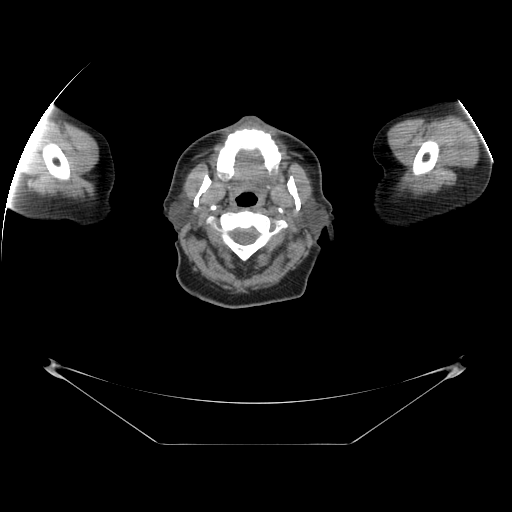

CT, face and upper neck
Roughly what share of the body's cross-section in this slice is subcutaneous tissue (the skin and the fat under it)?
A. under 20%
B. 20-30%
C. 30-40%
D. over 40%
C. 30-40%
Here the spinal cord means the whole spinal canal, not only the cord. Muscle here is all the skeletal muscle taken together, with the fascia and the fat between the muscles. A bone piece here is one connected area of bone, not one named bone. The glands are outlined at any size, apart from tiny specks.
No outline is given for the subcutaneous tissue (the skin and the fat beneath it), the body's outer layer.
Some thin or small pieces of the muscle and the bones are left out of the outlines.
The parotid glands appear in 2 outlined pieces: piece 1: 310 198; 313 198; 314 199; 315 198; 318 200; 320 203; 324 206; 325 210; 327 212; 327 221; 326 221; 320 228; 317 229; 314 232; 313 231; 311 231; 310 228; 306 225; 302 217; 302 212; 303 211; 304 205; 306 202; 310 199; piece 2: 182 191; 183 191; 185 197; 187 198; 191 206; 191 209; 193 213; 192 214; 192 219; 190 221; 187 221; 178 229; 178 228; 176 227; 176 226; 173 223; 172 218; 170 217; 169 215; 169 207; 170 206; 171 202; 175 198; 175 196. The right arm is outlined by 51 104; 59 106; 95 128; 104 135; 109 143; 115 167; 115 180; 110 194; 110 201; 113 209; 108 219; 98 225; 83 227; 65 219; 57 221; 36 221; 27 219; 8 209; 7 207; 7 197; 10 191; 11 182; 22 151; 36 124. The head and neck is outlined by 248 114; 294 135; 316 154; 321 167; 322 190; 335 217; 334 239; 330 242; 327 230; 322 229; 317 240; 321 252; 300 297; 232 309; 204 301; 180 286; 175 275; 177 234; 168 219; 159 222; 158 218; 175 164; 185 148; 202 135; inner edge: 241 194; 253 194; 255 196; 255 197; 256 198; 256 200; 255 201; 255 202; 254 203; 252 203; 251 204; 250 204; 249 205; 242 205; 241 204; 240 205; 237 202; 237 201; 236 200; 236 199; 238 197; 238 196; 239 196. The spinal cord is outlined by 251 227; 253 227; 257 231; 258 233; 258 236; 255 239; 255 240; 251 243; 249 243; 248 244; 241 244; 240 243; 238 243; 236 242; 231 237; 230 235; 230 233; 234 229; 236 228; 242 228; 243 229; 247 229. The left arm is outlined by 447 99; 459 101; 478 128; 489 152; 489 157; 493 162; 489 183; 482 195; 470 205; 433 217; 410 229; 402 230; 390 227; 376 217; 371 205; 375 184; 383 173; 382 168; 375 161; 372 154; 374 137; 382 125; 395 116; 433 102. The muscle appears in 3 outlined pieces: piece 1: 247 121; 258 123; 272 130; 292 149; 304 157; 309 167; 314 198; 310 197; 305 202; 302 208; 301 217; 305 225; 313 232; 313 244; 308 256; 297 270; 291 273; 278 285; 253 291; 248 294; 231 294; 217 287; 212 287; 205 279; 191 270; 187 257; 180 244; 180 228; 193 219; 194 213; 188 198; 184 191; 181 191; 181 188; 184 180; 184 169; 190 159; 204 148; 217 141; 224 132, around holes outlined by 244 209; 247 209; 253 212; 260 212; 272 219; 283 219; 287 223; 286 228; 283 228; 277 233; 272 235; 262 247; 244 261; 240 259; 224 243; 220 232; 206 223; 206 219; 210 215; 218 218; 221 214; 225 212; 229 211; 237 212 and by 243 128; 261 129; 270 134; 281 153; 281 159; 278 165; 278 171; 276 173; 274 171; 270 174; 268 172; 264 165; 263 157; 257 148; 242 148; 235 156; 232 176; 229 179; 223 180; 217 175; 217 157; 228 134; 237 129 and by 290 175; 292 175; 293 176; 294 182; 297 189; 297 192; 298 193; 298 195; 301 202; 301 206; 300 207; 300 209; 298 211; 296 211; 295 209; 295 203; 294 202; 294 199; 292 195; 289 192; 288 188; 287 187; 287 180 and by 205 173; 207 173; 208 174; 211 180; 211 183; 210 185; 207 188; 207 189; 201 194; 201 195; 199 197; 199 203; 198 204; 198 206; 197 207; 195 207; 193 205; 193 199; 199 189; 199 187; 202 182; 202 180; 204 177; 204 175 and by 241 194; 253 194; 255 196; 255 197; 256 198; 256 200; 255 201; 255 202; 254 203; 252 203; 251 204; 250 204; 249 205; 242 205; 241 204; 240 205; 237 202; 237 201; 236 200; 236 199; 238 197; 238 196; 239 196; piece 2: 450 113; 460 115; 474 130; 478 139; 480 151; 479 161; 462 178; 459 179; 455 185; 444 187; 434 194; 430 193; 419 197; 405 197; 398 195; 394 188; 399 179; 399 171; 397 161; 387 142; 388 130; 394 124; 408 118; 437 117; inner edge: 430 139; 431 140; 436 141; 439 146; 439 152; 438 153; 437 160; 433 168; 428 172; 423 174; 420 174; 419 175; 414 175; 412 171; 412 166; 413 165; 413 160; 415 157; 415 155; 418 151; 421 144; 424 141; 429 140; piece 3: 40 118; 52 119; 60 122; 74 124; 89 133; 96 140; 99 148; 99 160; 95 166; 95 173; 97 176; 97 192; 95 198; 92 200; 87 202; 77 202; 58 199; 53 197; 44 197; 30 190; 23 182; 14 175; 16 166; 26 142, around a hole outlined by 50 141; 53 141; 55 142; 61 148; 62 151; 64 153; 67 159; 67 161; 69 164; 69 168; 70 169; 70 176; 67 180; 62 180; 61 179; 54 177; 49 173; 46 167; 46 165; 43 160; 43 152; 44 151; 45 146. The bones appear in 6 outlined pieces: piece 1: 244 209; 247 209; 253 212; 260 212; 272 219; 283 219; 287 223; 286 228; 283 228; 277 233; 272 235; 262 247; 244 261; 240 259; 224 243; 220 232; 206 223; 206 219; 210 215; 218 218; 221 214; 225 212; 229 211; 237 212; inner edge: 251 227; 253 227; 257 231; 258 233; 258 236; 255 239; 255 240; 251 243; 249 243; 248 244; 241 244; 240 243; 238 243; 236 242; 231 237; 230 235; 230 233; 234 229; 236 228; 242 228; 243 229; 247 229; piece 2: 243 128; 261 129; 270 134; 281 153; 281 159; 278 165; 278 171; 276 173; 274 171; 270 174; 268 172; 264 165; 263 157; 257 148; 242 148; 235 156; 232 176; 229 179; 223 180; 217 175; 217 157; 228 134; 237 129; piece 3: 50 141; 53 141; 55 142; 61 148; 62 151; 64 153; 67 159; 67 161; 69 164; 69 168; 70 169; 70 176; 67 180; 62 180; 61 179; 54 177; 49 173; 46 167; 46 165; 43 160; 43 152; 44 151; 45 146; piece 4: 430 139; 431 140; 436 141; 439 146; 439 152; 438 153; 437 160; 433 168; 428 172; 423 174; 420 174; 419 175; 414 175; 412 171; 412 166; 413 165; 413 160; 415 157; 415 155; 418 151; 421 144; 424 141; 429 140; piece 5: 290 175; 292 175; 293 176; 294 182; 297 189; 297 192; 298 193; 298 195; 301 202; 301 206; 300 207; 300 209; 298 211; 296 211; 295 209; 295 203; 294 202; 294 199; 292 195; 289 192; 288 188; 287 187; 287 180; piece 6: 205 173; 207 173; 208 174; 211 180; 211 183; 210 185; 207 188; 207 189; 201 194; 201 195; 199 197; 199 203; 198 204; 198 206; 197 207; 195 207; 193 205; 193 199; 199 189; 199 187; 202 182; 202 180; 204 177; 204 175.